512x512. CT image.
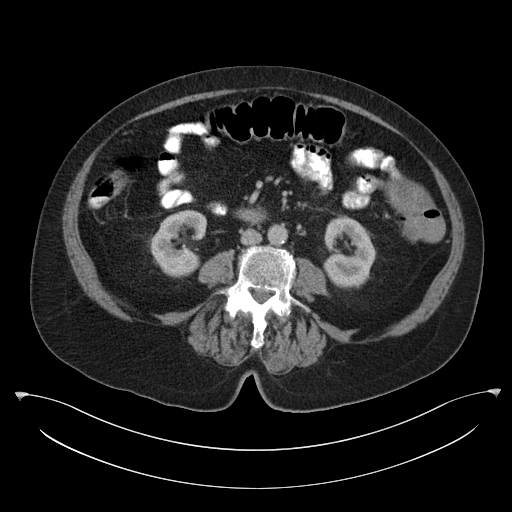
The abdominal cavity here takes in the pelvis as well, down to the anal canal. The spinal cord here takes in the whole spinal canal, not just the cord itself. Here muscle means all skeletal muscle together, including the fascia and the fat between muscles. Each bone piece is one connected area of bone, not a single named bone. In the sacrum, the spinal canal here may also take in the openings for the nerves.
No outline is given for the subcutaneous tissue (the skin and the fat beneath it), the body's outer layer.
Outlined structures:
bones: 260 245; 283 248; 293 256; 296 274; 289 292; 307 305; 310 311; 293 304; 287 317; 268 312; 263 344; 255 348; 250 344; 253 332; 251 315; 239 310; 231 318; 224 309; 227 297; 213 293; 236 281; 238 256; 242 250; inner edge: 251 289; 257 289; 258 290; 264 290; 265 291; 270 291; 271 292; 272 292; 272 294; 271 294; 269 296; 269 297; 266 300; 265 300; 263 302; 260 303; 259 302; 258 302; 253 297; 253 295; 252 294; 252 292; 251 291
muscle: 265 85; 293 87; 301 90; 333 96; 351 102; 379 116; 383 120; 404 133; 425 154; 443 174; 454 193; 454 195; 459 204; 464 222; 464 232; 465 233; 464 241; 465 244; 464 245; 462 259; 458 268; 457 273; 444 299; 432 315; 427 320; 422 323; 420 323; 409 332; 396 337; 388 337; 379 341; 370 342; 365 344; 351 344; 350 343; 340 343; 337 342; 330 352; 322 360; 315 364; 311 368; 298 374; 293 374; 292 375; 274 375; 268 373; 264 365; 257 355; 253 355; 249 357; 237 366; 224 366; 215 363; 211 363; 202 359; 192 352; 188 347; 186 342; 182 338; 180 331; 176 326; 153 325; 141 322; 128 322; 112 315; 93 300; 90 299; 85 294; 72 269; 69 258; 67 255; 66 247; 63 239; 63 233; 62 232; 63 206; 69 188; 76 174; 82 166; 84 161; 92 151; 107 136; 121 124; 139 113; 147 111; 163 103; 174 100; 186 95; 200 93; 201 92; 206 92; 207 91; 214 91; 220 89; 257 87, around a hole outlined by 262 90; 366 117; 429 167; 449 254; 384 329; 323 319; 326 277; 303 256; 289 292; 310 311; 268 312; 258 348; 251 315; 213 294; 237 279; 231 248; 199 268; 210 292; 187 309; 136 310; 100 280; 78 227; 100 151; 144 117
abdominal cavity: 262 90; 366 117; 429 167; 449 215; 449 254; 419 304; 384 329; 323 319; 312 304; 330 296; 324 272; 269 244; 242 249; 236 276; 233 249; 209 257; 197 280; 210 292; 187 309; 136 310; 100 280; 78 227; 100 151; 144 117
spinal cord: 251 289; 257 289; 258 290; 264 290; 265 291; 270 291; 271 292; 272 292; 272 294; 271 294; 269 296; 269 297; 266 300; 265 300; 263 302; 260 303; 259 302; 258 302; 253 297; 253 295; 252 294; 252 292; 251 291
torso: 235 65; 300 67; 364 85; 424 123; 460 165; 482 216; 483 274; 469 332; 435 372; 371 399; 310 412; 271 408; 249 375; 229 407; 205 412; 101 384; 43 343; 29 304; 30 263; 40 210; 67 152; 90 125; 135 93; 187 73